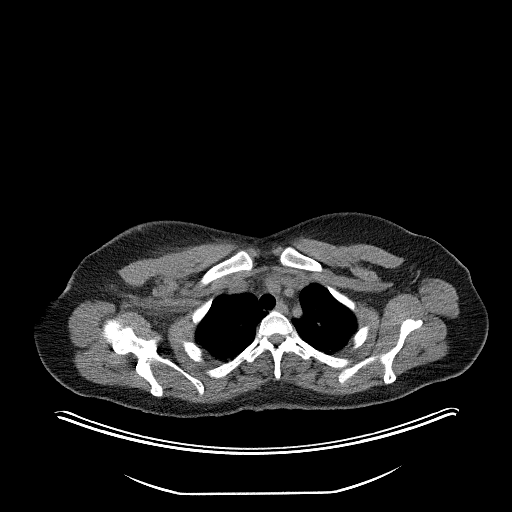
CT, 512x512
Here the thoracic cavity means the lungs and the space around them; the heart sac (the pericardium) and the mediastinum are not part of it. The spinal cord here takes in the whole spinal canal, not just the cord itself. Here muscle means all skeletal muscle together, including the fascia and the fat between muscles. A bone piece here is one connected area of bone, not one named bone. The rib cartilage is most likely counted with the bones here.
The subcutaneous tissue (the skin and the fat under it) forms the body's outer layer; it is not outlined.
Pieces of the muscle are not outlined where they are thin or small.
{"torso":[[[336,211],[378,215],[428,236],[469,270],[471,282],[454,311],[456,343],[470,365],[464,372],[399,399],[354,409],[241,410],[218,417],[177,418],[79,395],[101,374],[114,341],[113,321],[101,299],[69,277],[90,252],[147,220],[184,220],[264,236]]],"bones":[{"outer":[[273,310],[283,314],[305,342],[349,358],[351,365],[391,349],[405,319],[422,324],[405,337],[395,355],[391,367],[396,379],[389,384],[378,359],[341,384],[341,368],[291,351],[282,355],[276,380],[268,350],[215,378],[205,371],[249,345],[262,318]],"hole":[[273,334],[279,334],[280,335],[282,335],[283,336],[283,337],[284,338],[284,339],[279,344],[278,344],[277,345],[275,345],[273,343],[272,343],[269,340],[269,337],[271,335],[272,335]]},[[112,318],[123,326],[131,327],[138,337],[157,338],[159,355],[200,380],[203,393],[200,395],[192,382],[177,370],[162,362],[152,361],[153,375],[163,389],[161,397],[152,395],[149,382],[136,372],[136,356],[131,352],[116,353],[102,336],[104,322]],[[239,250],[244,250],[252,259],[253,266],[249,271],[242,270],[241,271],[237,271],[236,272],[229,273],[228,274],[223,275],[220,277],[218,277],[206,284],[203,284],[201,282],[201,278],[202,276],[208,269],[212,266],[217,264],[219,262],[230,257]],[[287,246],[292,246],[302,254],[306,256],[308,256],[319,262],[321,264],[322,270],[321,271],[310,271],[309,270],[305,270],[304,269],[300,269],[299,268],[294,268],[293,267],[289,267],[288,266],[284,266],[282,265],[279,260],[279,258],[282,251]],[[182,340],[186,340],[187,341],[193,341],[198,346],[199,346],[203,350],[203,354],[202,355],[203,357],[203,361],[201,362],[198,362],[197,361],[194,361],[191,358],[190,358],[189,356],[185,352],[183,348],[183,346],[182,345]],[[327,285],[329,285],[335,288],[338,291],[346,295],[349,298],[353,300],[355,303],[355,312],[354,313],[349,308],[348,308],[345,305],[344,305],[342,303],[338,301],[330,293],[328,289],[325,286]],[[210,297],[212,297],[213,299],[212,300],[212,302],[211,303],[211,305],[209,309],[207,311],[206,314],[198,323],[198,324],[196,326],[194,326],[192,322],[192,318],[191,317],[193,311],[195,309],[199,307]],[[365,325],[368,325],[369,326],[369,329],[368,330],[368,334],[367,335],[367,337],[365,341],[360,346],[359,346],[355,349],[353,349],[352,348],[353,343],[351,340],[351,338],[352,336],[357,331],[358,328],[360,327],[362,327]]],"spinal_cord":[[[273,334],[279,334],[280,335],[282,335],[283,336],[283,337],[284,338],[284,339],[279,344],[278,344],[277,345],[275,345],[273,343],[272,343],[269,340],[269,337],[271,335],[272,335]]],"muscle":[{"outer":[[300,236],[335,245],[371,244],[403,257],[399,266],[384,269],[381,274],[392,284],[382,292],[386,299],[399,292],[416,292],[427,277],[450,283],[458,295],[459,314],[448,324],[449,351],[441,358],[397,377],[393,361],[406,337],[423,324],[420,318],[407,317],[391,348],[351,364],[349,357],[334,354],[350,340],[355,350],[368,337],[370,326],[358,327],[355,301],[307,274],[268,269],[232,279],[220,293],[192,311],[194,341],[181,340],[188,357],[201,363],[204,351],[220,361],[204,371],[210,378],[219,379],[268,351],[278,381],[283,355],[291,352],[303,360],[313,358],[341,369],[337,375],[341,385],[378,360],[383,366],[383,385],[331,395],[278,381],[216,403],[162,397],[164,389],[154,375],[152,362],[180,373],[200,396],[204,384],[160,355],[157,337],[138,336],[116,317],[103,322],[100,334],[116,354],[135,356],[135,372],[148,382],[149,393],[96,383],[78,373],[72,361],[76,348],[69,339],[68,318],[86,300],[119,300],[125,288],[118,269],[142,258],[218,239],[269,249]],"holes":[[[239,250],[244,250],[252,259],[253,266],[249,271],[242,270],[241,271],[237,271],[236,272],[229,273],[228,274],[223,275],[220,277],[218,277],[206,284],[203,284],[201,282],[201,278],[202,276],[208,269],[212,266],[217,264],[219,262],[230,257]],[[287,246],[292,246],[302,254],[306,256],[308,256],[319,262],[321,264],[322,270],[321,271],[310,271],[309,270],[305,270],[304,269],[300,269],[299,268],[294,268],[293,267],[289,267],[288,266],[284,266],[282,265],[279,260],[279,258],[282,251]]]}],"thoracic_cavity":[[[221,293],[227,295],[239,294],[240,293],[249,293],[255,297],[257,304],[260,309],[266,313],[259,321],[255,330],[254,337],[251,342],[235,356],[223,362],[213,358],[209,353],[205,351],[195,342],[196,327],[207,314],[212,305],[214,298]],[[311,283],[319,283],[324,286],[329,293],[338,302],[349,309],[356,318],[357,322],[356,331],[351,336],[349,341],[341,349],[333,354],[320,350],[305,341],[299,335],[291,321],[293,319],[299,319],[303,315],[303,310],[300,303],[300,293],[305,287]]],"right_arm":[[[69,278],[80,285],[84,286],[100,299],[108,312],[108,314],[112,321],[112,326],[113,327],[113,341],[105,365],[97,378],[80,394],[77,394],[60,384],[47,371],[40,360],[33,337],[33,324],[36,315],[53,297],[56,296],[62,291],[65,287]]],"mediastinum":[[[268,270],[284,274],[285,273],[307,275],[317,282],[309,283],[300,291],[299,303],[301,306],[302,315],[299,318],[293,318],[290,320],[283,313],[274,309],[267,313],[265,312],[261,309],[256,297],[249,292],[230,294],[222,292],[234,279],[252,276]]],"left_arm":[[[472,280],[472,282],[482,301],[484,303],[485,307],[487,310],[488,318],[489,319],[489,326],[488,327],[487,338],[485,341],[485,343],[480,353],[471,365],[461,353],[461,351],[457,343],[457,340],[455,335],[455,311],[461,297],[472,282]]]}